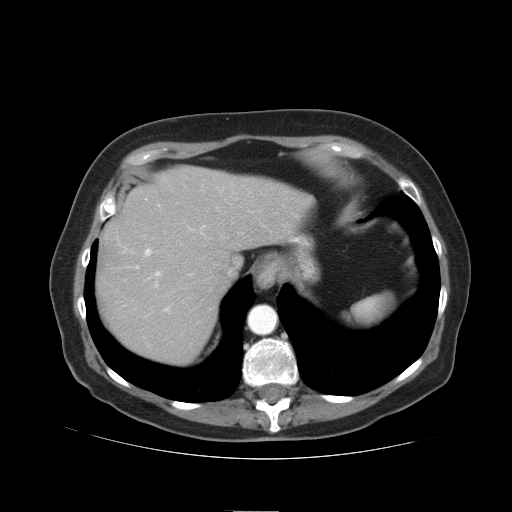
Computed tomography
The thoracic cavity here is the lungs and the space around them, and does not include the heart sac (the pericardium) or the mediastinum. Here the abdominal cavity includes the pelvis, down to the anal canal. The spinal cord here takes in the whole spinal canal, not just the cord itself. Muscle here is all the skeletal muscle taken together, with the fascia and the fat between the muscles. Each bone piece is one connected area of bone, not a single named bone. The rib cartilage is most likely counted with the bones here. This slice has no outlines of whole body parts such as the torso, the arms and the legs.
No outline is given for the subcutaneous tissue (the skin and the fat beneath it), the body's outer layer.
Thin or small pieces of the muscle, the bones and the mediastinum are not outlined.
{"muscle":[[[237,134],[345,136],[377,152],[411,179],[400,176],[396,179],[396,185],[377,168],[358,160],[365,155],[364,149],[336,140],[306,148],[291,148],[270,140],[241,139],[189,157],[160,157],[168,150],[165,146],[136,152],[126,159],[128,164],[135,167],[117,193],[110,190],[98,205],[98,218],[102,223],[96,238],[83,249],[80,256],[85,273],[83,291],[76,299],[76,307],[107,365],[105,371],[117,383],[127,388],[133,384],[171,400],[169,403],[174,408],[192,410],[200,408],[203,402],[229,397],[242,381],[257,392],[254,407],[268,417],[270,432],[188,420],[118,388],[88,366],[72,303],[78,253],[89,231],[96,204],[121,160],[132,150],[156,141],[213,141]],[[414,182],[422,192],[447,249],[451,290],[437,357],[412,380],[365,409],[336,419],[280,430],[279,414],[291,405],[292,398],[288,390],[300,379],[319,392],[317,395],[319,398],[330,403],[347,403],[352,401],[354,396],[373,390],[391,380],[394,383],[404,380],[422,363],[421,355],[431,337],[436,318],[439,319],[446,308],[448,291],[446,286],[441,284],[438,258],[442,256],[441,242],[430,232],[419,207],[423,201]]],"mediastinum":[[[258,270],[270,271],[277,275],[285,283],[281,286],[277,293],[276,305],[277,306],[277,315],[285,330],[289,341],[271,336],[263,337],[258,339],[248,346],[244,352],[243,327],[245,322],[246,314],[255,301],[255,293],[253,288],[253,277],[251,274]],[[353,160],[357,160],[360,162],[362,162],[365,164],[372,166],[380,172],[383,173],[391,179],[395,185],[397,186],[398,188],[397,193],[386,196],[382,199],[377,205],[372,199],[372,195],[374,190],[374,182],[367,173],[351,164]]],"bones":[[[269,337],[291,344],[300,378],[287,390],[290,405],[278,414],[280,429],[276,432],[270,431],[269,417],[264,411],[256,409],[255,402],[258,393],[261,399],[274,404],[286,395],[286,387],[280,383],[266,383],[256,391],[242,380],[243,357],[247,348]],[[334,141],[357,146],[359,148],[361,148],[364,150],[365,153],[362,157],[358,159],[354,159],[353,158],[342,156],[337,153],[334,153],[333,152],[332,153],[320,154],[319,153],[314,153],[308,151],[307,148],[316,146],[318,144],[321,143],[333,142]],[[164,147],[165,147],[167,150],[164,152],[162,152],[160,154],[159,157],[156,159],[154,159],[151,161],[148,161],[145,163],[142,163],[139,165],[136,165],[135,166],[127,162],[127,159],[130,156],[136,153],[150,150],[151,149],[160,149]],[[110,191],[113,191],[115,193],[115,209],[113,213],[111,215],[110,215],[109,217],[108,217],[103,222],[102,222],[99,218],[99,213],[98,212],[99,210],[99,205],[100,203],[104,199],[106,195]],[[400,177],[404,177],[407,179],[409,179],[410,180],[411,180],[415,185],[415,186],[420,195],[420,197],[421,198],[421,200],[422,201],[421,204],[419,206],[408,195],[407,195],[405,193],[404,193],[399,188],[399,187],[397,184],[397,179]],[[420,356],[422,358],[422,361],[421,362],[421,363],[419,365],[419,366],[411,374],[410,374],[408,376],[407,376],[404,379],[403,379],[398,382],[394,382],[393,381],[393,379],[395,377],[396,377],[400,373],[401,373],[406,368],[407,368]],[[441,285],[444,285],[446,288],[446,290],[447,291],[447,300],[446,301],[446,305],[445,306],[445,308],[444,309],[442,314],[440,316],[440,317],[439,318],[437,318],[437,312],[438,311],[438,304],[439,303],[439,294],[440,293],[440,287],[441,286]],[[321,393],[322,394],[329,394],[330,395],[339,395],[340,396],[353,396],[353,399],[352,400],[351,400],[350,401],[348,401],[347,402],[330,402],[329,401],[327,401],[326,400],[325,400],[324,399],[323,399],[322,398],[319,397],[318,396],[318,395]],[[172,400],[176,400],[177,401],[181,401],[182,402],[189,402],[190,403],[201,403],[202,404],[202,405],[200,407],[198,407],[197,408],[193,408],[192,409],[180,409],[179,408],[177,408],[176,407],[174,407],[172,405],[171,405],[170,402]],[[107,366],[108,366],[110,368],[111,368],[115,372],[116,372],[125,380],[126,380],[128,382],[129,382],[131,384],[131,386],[130,387],[127,387],[124,385],[122,385],[120,383],[119,383],[115,380],[114,380],[108,374],[108,373],[106,371],[106,367]],[[82,294],[83,295],[83,298],[84,299],[84,303],[85,304],[85,317],[86,318],[86,321],[84,321],[82,319],[82,318],[80,315],[80,313],[78,310],[78,308],[77,307],[77,299],[78,298],[78,297],[80,295],[81,295]]],"abdominal_cavity":[[[241,140],[353,159],[373,182],[376,206],[369,216],[391,214],[409,235],[417,290],[378,326],[352,331],[324,319],[274,272],[258,269],[223,297],[221,339],[201,363],[182,368],[138,356],[104,328],[94,295],[97,237],[116,209],[118,190],[136,166]]],"thoracic_cavity":[[[399,189],[421,211],[438,259],[440,286],[430,337],[421,354],[389,381],[355,395],[322,393],[300,377],[293,346],[278,315],[278,293],[289,285],[324,320],[352,332],[371,330],[390,318],[414,297],[421,281],[406,228],[391,213],[370,216],[382,200]],[[96,239],[93,295],[101,325],[132,354],[165,366],[193,368],[208,358],[222,339],[220,309],[224,297],[240,279],[252,277],[254,301],[245,314],[242,327],[241,381],[233,393],[213,401],[170,399],[131,383],[106,363],[90,333],[83,294],[91,246]]],"spinal_cord":[[[266,384],[280,384],[281,385],[284,386],[285,387],[285,389],[286,390],[285,391],[285,395],[284,396],[283,396],[281,398],[280,398],[274,403],[269,403],[263,398],[261,398],[259,396],[259,393],[258,392],[258,390],[259,389],[259,388]]]}